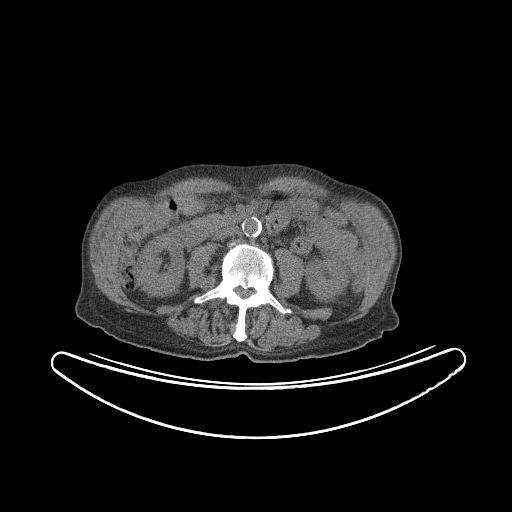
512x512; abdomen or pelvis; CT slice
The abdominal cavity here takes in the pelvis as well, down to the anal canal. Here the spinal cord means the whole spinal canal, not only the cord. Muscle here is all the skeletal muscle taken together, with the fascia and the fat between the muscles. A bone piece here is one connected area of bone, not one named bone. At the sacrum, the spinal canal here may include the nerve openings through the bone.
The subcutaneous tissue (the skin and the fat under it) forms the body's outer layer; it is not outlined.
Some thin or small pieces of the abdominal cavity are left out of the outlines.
Outlines (x, y in pixels):
muscle: (191, 177) (209, 177) (210, 178) (215, 178) (239, 188) (255, 186) (259, 183) (262, 183) (264, 181) (266, 182) (270, 179) (273, 179) (277, 177) (298, 177) (316, 183) (318, 185) (320, 185) (329, 190) (333, 194) (348, 198) (362, 199) (372, 204) (374, 204) (381, 210) (382, 213) (387, 219) (387, 221) (392, 230) (396, 245) (395, 261) (387, 279) (387, 282) (380, 296) (364, 316) (347, 323) (344, 323) (340, 325) (335, 325) (332, 327) (330, 327) (325, 330) (315, 340) (310, 342) (308, 345) (305, 345) (304, 346) (305, 347) (303, 349) (298, 349) (287, 353) (267, 354) (266, 355) (265, 354) (256, 353) (246, 345) (226, 348) (218, 351) (215, 351) (212, 349) (204, 349) (195, 346) (187, 342) (185, 339) (176, 335) (167, 327) (164, 322) (159, 317) (151, 315) (139, 314) (138, 313) (132, 313) (124, 311) (118, 308) (97, 287) (94, 281) (94, 276) (91, 270) (91, 265) (89, 261) (89, 254) (88, 253) (89, 250) (89, 239) (93, 227) (100, 213) (115, 198) (121, 196) (129, 196) (130, 195) (133, 196) (146, 196) (150, 194) (153, 194) (158, 190) (167, 187) (174, 182) with a hole at (274, 190) (322, 197) (349, 216) (366, 271) (350, 311) (289, 301) (304, 261) (285, 247) (273, 251) (269, 289) (292, 312) (250, 307) (241, 342) (234, 305) (194, 302) (220, 281) (215, 242) (191, 251) (195, 291) (185, 300) (150, 309) (122, 289) (124, 231) (154, 200)
torso: (197, 162) (296, 162) (380, 196) (394, 216) (402, 244) (392, 296) (400, 319) (398, 326) (385, 331) (381, 338) (345, 353) (293, 362) (256, 363) (243, 354) (201, 361) (155, 352) (116, 340) (78, 318) (74, 304) (81, 283) (81, 242) (101, 197) (123, 181) (150, 177)
spinal cord: (239, 286) (244, 289) (252, 289) (254, 291) (254, 292) (253, 293) (252, 293) (248, 297) (246, 297) (245, 298) (242, 298) (241, 297) (240, 297) (239, 296) (239, 295) (238, 294) (237, 294) (235, 292) (235, 291) (234, 290) (234, 289) (235, 288) (236, 288)
bones: (231, 241) (255, 245) (272, 256) (275, 270) (269, 289) (284, 307) (292, 311) (281, 313) (268, 303) (250, 307) (245, 315) (247, 337) (241, 342) (232, 336) (237, 320) (237, 308) (234, 305) (218, 297) (201, 303) (194, 302) (195, 297) (219, 283) (221, 258) (229, 249); inner edge: (239, 286) (244, 289) (252, 289) (254, 291) (254, 292) (253, 293) (252, 293) (248, 297) (246, 297) (245, 298) (242, 298) (241, 297) (240, 297) (239, 296) (239, 295) (238, 294) (237, 294) (235, 292) (235, 291) (234, 290) (234, 289) (235, 288) (236, 288)
abdominal cavity: (274, 190) (322, 197) (349, 216) (366, 271) (350, 311) (334, 316) (330, 306) (289, 301) (299, 294) (304, 261) (285, 247) (272, 255) (235, 240) (221, 257) (215, 242) (191, 251) (186, 268) (195, 291) (179, 303) (150, 309) (122, 289) (117, 263) (124, 231) (154, 200)